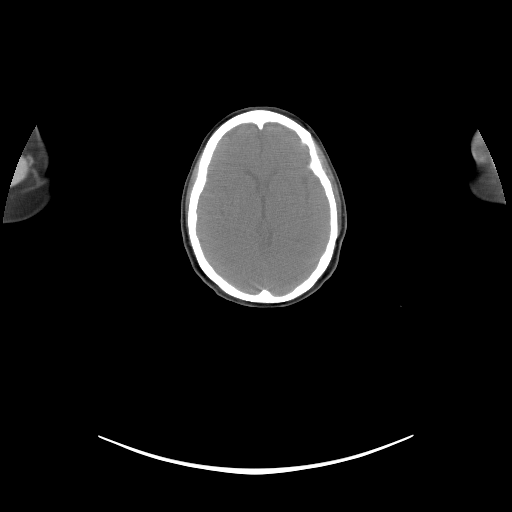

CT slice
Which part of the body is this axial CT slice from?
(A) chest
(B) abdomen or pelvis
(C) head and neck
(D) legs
Answer: (C) head and neck
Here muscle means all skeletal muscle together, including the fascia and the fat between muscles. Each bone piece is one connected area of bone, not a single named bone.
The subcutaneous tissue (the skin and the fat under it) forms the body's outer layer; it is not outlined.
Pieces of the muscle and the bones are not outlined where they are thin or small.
Outlines:
bones: (253, 109) (267, 109) (284, 114) (311, 133) (322, 167) (331, 183) (337, 210) (338, 236) (332, 257) (326, 269) (308, 290) (293, 299) (276, 303) (247, 301) (223, 291) (204, 273) (198, 264) (190, 244) (186, 224) (189, 198) (197, 175) (198, 160) (207, 140) (226, 120), around a hole outlined by (267, 123) (276, 123) (293, 131) (300, 143) (306, 146) (309, 157) (306, 166) (318, 179) (328, 205) (329, 229) (323, 251) (309, 274) (282, 294) (274, 294) (264, 287) (252, 293) (228, 281) (207, 258) (197, 233) (199, 200) (219, 142) (240, 125) (253, 124) (262, 130)
right arm: (36, 126) (38, 126) (38, 128) (47, 145) (46, 177) (48, 183) (49, 204) (42, 211) (31, 218) (19, 222) (4, 224) (3, 223) (3, 217) (4, 216) (6, 201) (10, 187) (12, 185) (10, 181) (14, 172) (17, 168) (19, 158) (22, 155) (22, 152) (33, 130)
muscle 1: (315, 140) (319, 145) (328, 162) (328, 164) (332, 171) (338, 187) (338, 191) (341, 200) (341, 229) (339, 233) (338, 229) (338, 210) (337, 209) (337, 204) (336, 203) (336, 199) (332, 183) (326, 173) (325, 169) (323, 167) (322, 161) (317, 151) (317, 145)
muscle 2: (23, 150) (24, 151) (26, 151) (31, 157) (31, 168) (27, 173) (25, 177) (17, 185) (10, 188) (10, 187) (12, 185) (10, 182) (11, 180) (11, 178) (14, 172) (17, 168) (17, 166) (18, 165) (18, 162) (19, 161) (19, 158) (20, 156) (22, 155) (22, 152)
muscle 3: (197, 161) (197, 170) (196, 171) (196, 175) (195, 176) (194, 181) (192, 184) (192, 186) (189, 193) (189, 197) (188, 198) (188, 207) (186, 211) (186, 216) (185, 199) (186, 198) (186, 194) (187, 193) (187, 188) (188, 187) (188, 184) (189, 183) (193, 169)
head: (258, 105) (276, 106) (286, 109) (299, 116) (313, 128) (336, 170) (342, 186) (347, 211) (347, 228) (335, 270) (322, 286) (311, 295) (297, 303) (284, 307) (250, 307) (217, 295) (194, 272) (183, 245) (180, 228) (180, 202) (184, 182) (204, 136) (228, 113) (247, 106)
brain: (267, 123) (276, 123) (293, 131) (300, 143) (306, 146) (309, 157) (306, 166) (318, 179) (328, 205) (329, 229) (323, 251) (309, 274) (282, 294) (274, 294) (264, 287) (252, 293) (228, 281) (207, 258) (197, 233) (199, 200) (219, 142) (240, 125) (253, 124) (262, 130)
left arm: (477, 130) (489, 148) (490, 157) (495, 164) (499, 177) (502, 181) (503, 185) (502, 191) (505, 200) (505, 204) (501, 202) (483, 200) (480, 198) (477, 198) (473, 196) (469, 191) (467, 185) (467, 179) (470, 175) (474, 165) (474, 161) (472, 159) (469, 148) (469, 141)